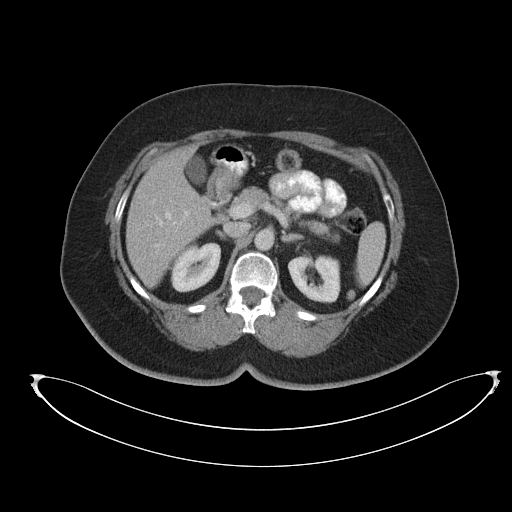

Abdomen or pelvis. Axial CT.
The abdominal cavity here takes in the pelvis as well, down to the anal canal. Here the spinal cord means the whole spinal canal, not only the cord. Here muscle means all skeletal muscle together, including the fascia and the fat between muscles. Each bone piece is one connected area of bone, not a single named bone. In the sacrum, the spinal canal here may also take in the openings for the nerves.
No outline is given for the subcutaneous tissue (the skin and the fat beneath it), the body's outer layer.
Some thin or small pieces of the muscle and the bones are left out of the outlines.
{"abdominal_cavity":[[[254,136],[300,143],[350,163],[376,181],[389,223],[388,250],[380,273],[348,308],[317,314],[291,304],[278,288],[279,274],[272,259],[259,251],[240,254],[222,290],[202,303],[165,301],[131,272],[122,250],[122,216],[143,173],[158,158],[183,146]]],"bones":[{"outer":[[247,252],[259,252],[269,257],[278,274],[278,280],[272,293],[275,314],[274,316],[264,314],[259,315],[254,320],[253,326],[255,332],[252,334],[242,331],[245,322],[240,314],[227,312],[225,309],[227,300],[230,295],[229,280],[232,267],[237,258]],"hole":[[249,286],[253,286],[254,287],[256,287],[260,289],[263,292],[263,296],[260,299],[259,301],[259,303],[257,304],[255,304],[254,305],[252,305],[251,306],[243,302],[243,297],[241,294],[241,290],[243,288],[245,287],[248,287]]},[[381,273],[382,274],[382,280],[381,281],[381,283],[380,284],[380,285],[379,286],[378,289],[376,291],[376,292],[362,306],[359,306],[358,303],[359,302],[360,299],[362,297],[362,296],[368,290],[368,289],[372,285],[372,284],[375,281],[375,280]],[[128,187],[130,187],[131,189],[129,192],[129,195],[127,198],[127,200],[126,201],[126,203],[125,204],[125,206],[124,207],[124,209],[123,210],[123,212],[122,213],[121,218],[119,221],[116,221],[115,220],[115,210],[116,209],[117,204],[123,192]],[[383,189],[384,189],[390,195],[391,197],[391,199],[393,202],[393,205],[394,206],[394,219],[392,220],[390,220],[388,217],[388,213],[387,212],[387,209],[386,208],[386,206],[384,203],[384,201],[382,197],[382,190]],[[131,274],[140,284],[140,285],[147,292],[147,293],[149,295],[149,296],[150,297],[150,299],[149,300],[148,300],[147,299],[142,297],[139,294],[138,294],[133,288],[133,287],[131,285],[131,284],[130,283],[130,281],[129,280],[129,275],[130,275]],[[297,310],[302,310],[303,311],[308,311],[309,312],[310,312],[311,313],[313,313],[315,315],[316,315],[316,316],[317,317],[317,318],[315,320],[305,320],[304,319],[301,319],[300,318],[299,318],[296,315],[296,314],[295,313],[295,312]]],"spinal_cord":[[[249,286],[253,286],[254,287],[256,287],[260,289],[263,292],[263,296],[260,299],[259,301],[259,303],[257,304],[255,304],[254,305],[252,305],[251,306],[243,302],[243,297],[241,294],[241,290],[243,288],[245,287],[248,287]]],"torso":[[[222,82],[345,89],[383,104],[407,125],[442,194],[459,278],[445,327],[417,358],[379,377],[327,389],[274,387],[247,371],[223,385],[199,386],[137,372],[112,357],[88,331],[65,295],[59,272],[66,214],[78,180],[110,130],[134,107],[172,90]]],"muscle":[{"outer":[[218,128],[232,128],[233,129],[241,129],[242,130],[255,131],[256,132],[272,132],[273,131],[280,131],[281,130],[308,131],[309,132],[314,132],[329,137],[346,146],[353,146],[354,147],[356,146],[365,146],[381,156],[398,182],[403,199],[403,208],[404,209],[404,217],[405,218],[405,228],[403,234],[401,253],[400,254],[400,259],[399,260],[399,278],[397,280],[395,287],[381,303],[350,330],[342,339],[335,345],[323,353],[310,356],[306,358],[290,358],[287,356],[276,353],[274,351],[267,348],[261,344],[257,339],[250,334],[243,335],[237,340],[232,342],[230,344],[228,344],[225,346],[222,346],[214,350],[207,350],[206,351],[192,351],[189,350],[169,340],[150,321],[140,308],[124,293],[116,279],[116,277],[109,262],[108,256],[107,255],[107,249],[106,248],[106,242],[105,241],[106,212],[111,195],[128,165],[134,158],[136,154],[144,146],[151,142],[154,141],[174,141],[175,140],[181,139],[190,134],[196,132],[208,130],[209,129],[217,129]],"hole":[[254,136],[297,142],[337,157],[371,175],[380,191],[390,195],[394,219],[388,220],[382,280],[362,306],[356,302],[336,313],[317,314],[315,320],[301,319],[295,312],[303,309],[286,300],[277,283],[272,293],[274,316],[259,315],[251,334],[242,331],[245,322],[240,314],[225,309],[231,266],[222,290],[196,313],[145,287],[148,300],[131,285],[122,250],[122,219],[115,220],[123,192],[132,189],[158,158],[183,146]]}]}